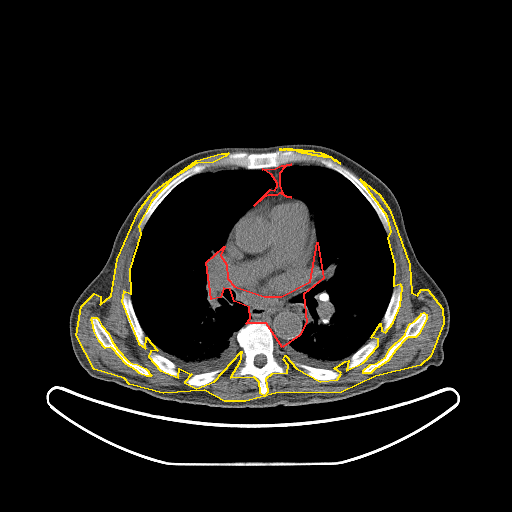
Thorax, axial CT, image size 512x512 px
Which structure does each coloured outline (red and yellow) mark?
red: mediastinum; yellow: muscle.
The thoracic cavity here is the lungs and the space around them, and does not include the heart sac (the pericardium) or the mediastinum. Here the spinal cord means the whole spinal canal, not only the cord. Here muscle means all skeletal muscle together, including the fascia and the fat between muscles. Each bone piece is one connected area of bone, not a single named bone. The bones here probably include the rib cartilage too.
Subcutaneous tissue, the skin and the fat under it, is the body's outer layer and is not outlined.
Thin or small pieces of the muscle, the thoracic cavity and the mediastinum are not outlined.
{"mediastinum":[[[317,242],[323,278],[303,294],[306,322],[299,335],[282,347],[266,323],[246,323],[250,318],[249,307],[234,301],[230,289],[223,288],[220,297],[211,299],[206,262],[224,246],[220,255],[226,264],[227,278],[234,286],[264,296],[281,296],[310,281]],[[287,164],[291,164],[284,167],[279,173],[279,185],[282,193],[286,196],[291,197],[285,196],[281,193],[279,193],[276,195],[268,195],[262,198],[254,205],[270,189],[274,190],[277,186],[277,183],[271,174],[262,169],[275,168],[281,165],[286,165]]],"muscle":[{"outer":[[221,153],[228,153],[225,156],[213,162],[196,163],[172,178],[151,201],[138,225],[140,234],[129,269],[130,294],[123,291],[121,301],[138,343],[145,348],[146,337],[157,350],[150,351],[148,356],[160,370],[178,377],[179,368],[191,374],[184,382],[196,388],[214,381],[241,351],[239,362],[230,377],[253,376],[258,381],[259,392],[265,395],[268,391],[266,378],[272,373],[287,372],[288,365],[283,359],[285,355],[296,368],[320,381],[337,379],[341,373],[334,368],[345,361],[348,360],[346,370],[363,362],[378,345],[378,339],[371,337],[380,323],[381,330],[385,332],[393,322],[400,305],[402,287],[400,284],[394,286],[395,264],[388,238],[391,231],[387,216],[360,179],[379,194],[389,209],[409,264],[411,292],[417,295],[421,289],[427,289],[442,308],[443,323],[430,356],[420,365],[375,376],[341,392],[275,393],[245,401],[224,401],[204,390],[163,393],[129,384],[124,378],[94,369],[76,335],[81,306],[94,293],[100,296],[100,304],[111,295],[117,259],[138,211],[152,192],[196,160]],"holes":[[[423,312],[426,314],[426,319],[418,334],[415,337],[408,337],[406,338],[395,350],[388,360],[378,367],[375,368],[370,373],[363,373],[363,370],[370,364],[376,363],[385,357],[390,348],[405,334],[406,330],[410,323],[414,321],[421,314],[421,313]],[[92,317],[96,317],[98,319],[101,325],[108,333],[111,340],[117,349],[128,361],[132,363],[137,364],[145,368],[151,375],[150,376],[146,376],[139,373],[136,370],[126,364],[112,348],[110,347],[105,348],[99,341],[94,331],[92,321],[91,320]]]},[[284,148],[286,148],[287,149],[301,149],[302,150],[312,150],[313,151],[320,152],[321,153],[323,153],[324,154],[326,154],[330,156],[332,158],[335,159],[338,162],[340,163],[335,161],[333,159],[329,157],[324,157],[323,156],[318,156],[317,155],[312,155],[311,154],[308,154],[307,153],[302,153],[301,152],[299,152],[298,151],[296,151],[292,149],[285,149],[284,150],[282,150],[281,149],[279,149],[283,149]]],"torso":[[[295,143],[335,149],[365,167],[392,191],[415,255],[441,289],[449,306],[449,330],[443,342],[441,364],[340,400],[258,408],[212,407],[164,400],[88,374],[71,345],[70,312],[79,295],[104,266],[121,224],[152,182],[177,161],[203,150]]],"spinal_cord":[[[259,354],[262,354],[263,355],[264,355],[266,357],[266,362],[263,365],[262,365],[261,366],[258,366],[257,365],[256,365],[255,364],[255,363],[254,362],[254,359],[255,358],[255,357],[257,355],[258,355]]],"bones":[[[276,150],[292,150],[329,158],[353,173],[381,206],[388,222],[389,234],[358,188],[339,172],[316,161],[257,169],[211,165],[174,187],[151,214],[141,232],[139,231],[140,222],[152,201],[172,179],[186,169],[196,164],[213,163],[233,152],[265,153]],{"outer":[[252,321],[261,321],[266,324],[271,330],[275,343],[285,353],[282,359],[287,365],[286,372],[272,372],[265,378],[267,386],[265,394],[260,392],[259,381],[253,375],[245,374],[237,378],[231,377],[240,362],[242,352],[236,338],[237,332],[244,325]],"hole":[[259,354],[262,354],[263,355],[264,355],[266,357],[266,362],[263,365],[262,365],[261,366],[258,366],[257,365],[256,365],[255,364],[255,363],[254,362],[254,359],[255,358],[255,357],[257,355],[258,355]]},[[423,312],[426,314],[426,319],[418,334],[415,337],[408,337],[406,338],[395,350],[388,360],[378,367],[375,368],[370,373],[363,373],[363,370],[370,364],[376,363],[385,357],[390,348],[405,334],[406,330],[410,323],[414,321],[421,314],[421,313]],[[92,317],[96,317],[98,319],[101,325],[108,333],[111,340],[117,349],[128,361],[132,363],[137,364],[145,368],[151,375],[150,376],[146,376],[139,373],[136,370],[126,364],[112,348],[110,347],[105,348],[99,341],[94,331],[92,321],[91,320]],[[123,292],[126,292],[130,295],[130,299],[131,300],[133,310],[135,313],[137,320],[145,335],[145,342],[146,343],[146,346],[145,347],[142,346],[139,343],[130,327],[130,325],[128,322],[128,320],[123,307],[123,302],[122,301],[122,294]],[[397,285],[400,285],[401,287],[401,297],[400,298],[399,305],[398,306],[397,311],[394,316],[394,318],[390,324],[389,327],[385,331],[383,331],[382,330],[382,327],[383,326],[381,323],[381,321],[389,304],[389,302],[392,295],[393,289],[394,287]],[[293,362],[302,363],[316,368],[322,368],[323,369],[334,369],[335,370],[337,370],[340,373],[340,375],[337,378],[335,379],[331,379],[330,380],[320,380],[319,379],[315,379],[309,376],[301,368],[296,367],[294,365]],[[372,338],[376,338],[377,339],[377,345],[371,352],[371,353],[363,361],[362,361],[354,367],[353,367],[350,369],[346,369],[346,366],[349,361],[349,359],[350,358],[350,357],[356,351],[357,351],[363,345],[364,345],[370,339],[371,339]],[[150,352],[156,352],[173,362],[176,365],[176,368],[179,373],[179,375],[178,376],[173,376],[172,375],[170,375],[164,372],[161,369],[160,369],[152,361],[152,360],[150,358],[149,356],[149,353]],[[217,369],[222,369],[222,371],[217,375],[216,378],[214,380],[206,384],[195,387],[194,386],[191,386],[187,384],[185,382],[185,380],[192,375],[194,375],[195,374],[200,374],[201,373],[205,373],[206,372],[209,372],[210,371],[216,370]]],"thoracic_cavity":[[[230,167],[261,169],[276,186],[235,222],[224,245],[205,262],[210,299],[220,298],[225,288],[232,292],[234,302],[248,307],[249,318],[235,336],[241,350],[229,365],[192,374],[159,353],[146,336],[131,299],[132,258],[144,227],[174,188],[196,174]],[[295,163],[323,166],[351,182],[375,211],[387,235],[393,257],[393,288],[379,324],[364,344],[333,368],[294,361],[280,348],[302,332],[307,322],[303,312],[306,308],[303,296],[324,278],[320,271],[312,211],[303,201],[286,195],[281,189],[281,171]]],"pericardium":[[[279,194],[303,202],[309,210],[315,229],[316,238],[314,267],[309,281],[301,287],[281,295],[264,295],[262,293],[258,293],[257,291],[252,291],[234,285],[228,278],[227,264],[223,260],[221,253],[224,251],[229,234],[236,222],[262,199]]]}